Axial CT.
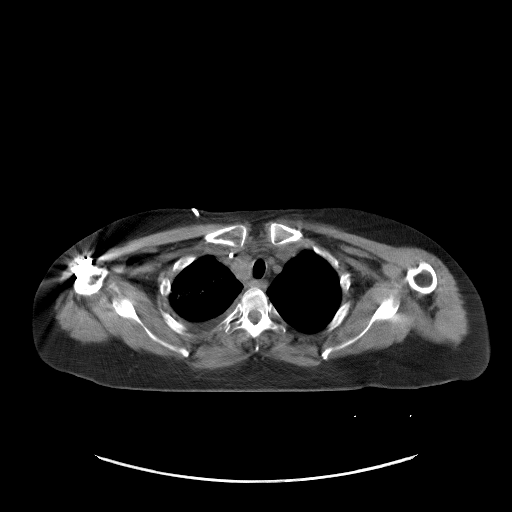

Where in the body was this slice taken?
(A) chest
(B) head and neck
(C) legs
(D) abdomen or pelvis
Answer: (A) chest
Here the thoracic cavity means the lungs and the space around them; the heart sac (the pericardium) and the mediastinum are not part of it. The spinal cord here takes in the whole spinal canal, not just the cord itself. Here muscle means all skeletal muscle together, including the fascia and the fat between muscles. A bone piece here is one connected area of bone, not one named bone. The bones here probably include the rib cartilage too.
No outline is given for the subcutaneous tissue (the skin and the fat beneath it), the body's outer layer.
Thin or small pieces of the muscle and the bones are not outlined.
{"right_arm":[[[95,230],[105,248],[104,279],[102,284],[102,288],[100,293],[100,297],[91,333],[84,368],[78,376],[75,376],[69,373],[58,371],[50,367],[44,363],[37,355],[33,346],[31,334],[32,301],[35,291],[40,281],[52,262],[59,255],[78,240]]],"bones":[{"outer":[[251,286],[258,287],[266,294],[273,306],[287,323],[285,332],[283,333],[272,329],[266,329],[256,338],[253,338],[242,328],[236,329],[230,333],[226,333],[222,329],[212,332],[212,329],[234,309],[236,304],[240,299],[239,296],[240,294]],"hole":[[252,311],[256,311],[257,312],[258,312],[260,314],[260,317],[259,318],[259,319],[256,322],[253,322],[252,321],[251,321],[250,320],[250,319],[249,318],[249,313],[250,312],[251,312]]},[[390,295],[393,295],[399,301],[399,306],[391,319],[377,319],[375,320],[368,330],[361,337],[353,343],[343,348],[331,351],[329,353],[327,359],[326,360],[323,359],[321,355],[321,352],[325,348],[330,346],[335,346],[357,335],[367,325],[380,303]],[[114,296],[120,296],[129,299],[132,302],[136,313],[141,321],[152,333],[160,339],[170,344],[178,347],[184,347],[189,352],[188,356],[185,357],[179,352],[171,350],[154,341],[136,321],[133,319],[124,318],[116,313],[108,306],[108,304],[111,302]],[[422,260],[429,263],[431,265],[435,272],[435,274],[437,278],[437,285],[435,289],[428,294],[423,294],[420,292],[413,290],[409,286],[409,285],[405,281],[404,281],[404,278],[406,275],[407,269],[409,267],[416,266],[419,263],[419,262]],[[234,224],[242,224],[244,225],[247,229],[247,235],[244,242],[244,245],[242,247],[231,247],[224,244],[219,244],[218,243],[207,242],[204,239],[204,236],[208,232],[218,229],[219,228],[221,228],[222,227],[226,227],[227,226],[233,225]],[[90,269],[104,269],[106,271],[106,276],[104,280],[101,283],[101,286],[96,292],[94,293],[92,293],[89,295],[84,295],[83,294],[79,294],[77,293],[74,289],[74,280],[76,276],[78,274],[78,273],[82,271],[84,271],[85,270],[89,270]],[[272,222],[281,223],[282,224],[287,225],[290,227],[293,227],[294,228],[299,229],[302,232],[303,236],[302,238],[298,241],[296,241],[295,242],[289,242],[279,246],[276,246],[271,243],[270,241],[270,238],[269,237],[269,233],[268,232],[269,226]],[[160,309],[162,309],[164,311],[167,312],[169,314],[170,314],[176,320],[184,324],[187,327],[187,331],[189,333],[190,333],[191,335],[190,336],[188,336],[187,335],[179,334],[175,331],[174,331],[170,327],[169,327],[164,321],[160,313]],[[347,301],[348,301],[350,303],[350,305],[349,306],[349,309],[348,310],[348,312],[345,316],[345,317],[343,319],[343,320],[336,327],[335,327],[330,331],[326,331],[326,327],[327,325],[332,319],[333,316],[337,311],[340,305]],[[313,244],[318,246],[320,248],[325,249],[337,259],[337,260],[338,261],[338,268],[337,269],[337,270],[336,270],[329,263],[329,262],[327,260],[326,260],[323,257],[322,257],[320,255],[319,255],[317,253],[316,253],[312,249],[312,245]],[[188,255],[195,255],[196,256],[196,258],[193,261],[192,261],[188,265],[187,265],[183,269],[182,269],[178,273],[175,274],[172,271],[172,267],[173,266],[174,263],[178,259],[179,259],[182,257],[184,257],[185,256],[187,256]],[[346,271],[347,271],[350,273],[350,285],[349,286],[349,288],[347,290],[347,291],[345,293],[343,293],[342,292],[342,290],[341,289],[341,287],[340,286],[340,284],[339,283],[339,275],[340,274],[341,274],[342,273],[343,273]],[[164,277],[166,277],[167,278],[168,278],[170,280],[170,281],[171,282],[171,290],[170,291],[170,293],[168,295],[168,296],[166,298],[165,298],[160,293],[160,292],[159,291],[159,285],[160,284],[160,283],[161,282],[161,279],[162,278],[163,278]]],"mediastinum":[[[291,244],[296,244],[305,248],[290,258],[284,264],[281,271],[275,276],[265,292],[255,285],[251,285],[243,291],[242,283],[236,278],[230,269],[218,261],[214,255],[208,253],[218,246],[241,250],[250,246],[253,247],[264,245],[268,247],[281,247]]],"torso":[[[319,206],[347,206],[362,209],[393,218],[419,230],[410,238],[405,247],[400,274],[435,349],[456,380],[416,389],[363,387],[332,391],[186,392],[112,388],[77,377],[85,368],[105,279],[106,248],[96,231],[97,229],[118,218],[161,207],[233,211]]],"muscle":[{"outer":[[276,218],[325,223],[374,241],[394,246],[418,247],[437,256],[456,281],[469,321],[469,333],[455,347],[438,345],[417,335],[410,335],[399,344],[334,358],[311,367],[256,355],[256,357],[252,356],[232,366],[212,370],[194,370],[174,357],[167,358],[149,352],[136,351],[116,338],[101,343],[83,343],[70,337],[61,329],[55,318],[53,307],[65,284],[94,257],[112,247],[178,226],[231,220],[246,220],[256,226]],"holes":[[[272,222],[299,229],[303,234],[300,240],[283,246],[296,244],[311,249],[314,244],[337,259],[338,275],[346,271],[350,273],[349,288],[341,294],[340,300],[341,304],[347,301],[350,303],[343,320],[330,331],[326,331],[325,327],[308,333],[288,324],[284,333],[266,329],[256,338],[242,328],[226,333],[222,329],[212,332],[213,326],[200,329],[188,326],[187,331],[191,334],[188,336],[169,327],[160,309],[175,319],[176,315],[168,298],[160,293],[159,285],[164,277],[171,282],[174,279],[174,263],[188,255],[198,258],[218,246],[227,247],[207,242],[204,236],[210,231],[234,224],[242,224],[247,229],[244,245],[235,247],[236,250],[260,245],[273,247],[268,232]],[[390,295],[393,295],[399,301],[399,306],[391,319],[377,319],[375,320],[368,330],[361,337],[353,343],[343,348],[331,351],[329,353],[327,359],[326,360],[323,359],[321,355],[321,352],[325,348],[330,346],[335,346],[357,335],[367,325],[380,303]],[[114,296],[120,296],[129,299],[132,302],[136,313],[141,321],[152,333],[160,339],[170,344],[178,347],[184,347],[189,352],[188,356],[185,357],[179,352],[171,350],[154,341],[136,321],[133,319],[124,318],[116,313],[108,306],[108,304],[111,302]],[[422,260],[429,263],[431,265],[435,272],[435,274],[437,278],[437,285],[435,289],[428,294],[423,294],[420,292],[413,290],[409,286],[409,285],[405,281],[404,281],[404,278],[406,275],[407,269],[409,267],[416,266],[419,263],[419,262]],[[90,269],[104,269],[106,271],[106,276],[104,280],[101,283],[101,286],[96,292],[94,293],[92,293],[89,295],[84,295],[83,294],[79,294],[77,293],[74,289],[74,280],[76,276],[78,274],[78,273],[82,271],[84,271],[85,270],[89,270]],[[113,283],[114,284],[115,284],[116,285],[117,286],[118,287],[118,288],[118,289],[118,290],[118,291],[118,292],[117,292],[116,291],[115,291],[114,290],[113,289],[112,288],[111,288],[110,288],[110,287],[109,286],[110,285],[111,284],[112,284]]]}],"spinal_cord":[[[252,311],[256,311],[257,312],[258,312],[260,314],[260,317],[259,318],[259,319],[256,322],[253,322],[252,321],[251,321],[250,320],[250,319],[249,318],[249,313],[250,312],[251,312]]],"left_arm":[[[419,231],[421,231],[436,241],[452,256],[469,276],[478,290],[483,302],[490,332],[492,349],[485,369],[481,375],[475,379],[469,381],[461,381],[457,380],[451,373],[436,349],[432,338],[401,274],[401,267],[404,263],[404,255],[406,247],[411,238]]],"thoracic_cavity":[[[304,249],[311,249],[316,254],[327,261],[336,271],[338,275],[338,283],[342,293],[341,294],[340,304],[326,326],[318,331],[308,333],[300,331],[288,324],[269,299],[266,293],[268,287],[272,283],[276,276],[282,271],[285,264],[290,259],[295,257]],[[205,254],[210,254],[214,256],[218,262],[220,262],[229,269],[235,278],[241,283],[242,292],[239,294],[238,296],[239,299],[233,309],[215,325],[206,328],[197,329],[189,327],[176,319],[176,315],[168,297],[171,293],[172,281],[175,276],[197,258]]]}